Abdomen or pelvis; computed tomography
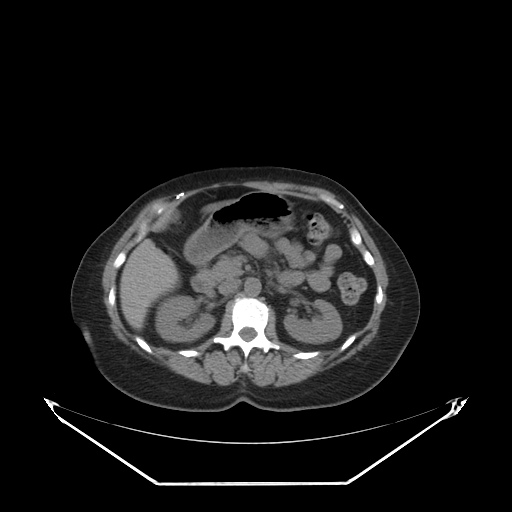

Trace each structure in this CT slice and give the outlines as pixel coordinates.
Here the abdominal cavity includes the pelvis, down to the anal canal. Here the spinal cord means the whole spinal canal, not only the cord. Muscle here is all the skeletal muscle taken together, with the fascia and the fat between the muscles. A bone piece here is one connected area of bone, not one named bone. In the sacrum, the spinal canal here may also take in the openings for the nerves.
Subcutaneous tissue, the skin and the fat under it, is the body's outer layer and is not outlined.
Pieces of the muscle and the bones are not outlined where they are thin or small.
The torso is outlined by 257,165 284,166 330,177 347,188 392,236 412,268 420,294 419,318 409,343 377,385 350,401 334,406 272,411 242,401 221,411 191,412 157,407 130,397 99,372 71,317 70,289 84,252 148,189 196,170. The muscle appears in 2 outlined pieces: piece 1: 247,181 268,181 269,182 278,181 279,182 289,182 295,184 300,184 301,185 307,185 308,186 323,188 335,194 341,201 345,204 347,208 360,220 367,232 372,238 382,257 382,259 385,265 386,272 388,276 388,285 386,289 387,301 385,307 380,315 380,323 376,336 367,345 364,346 361,350 358,351 348,359 342,361 328,369 318,372 316,374 307,378 301,382 290,384 286,386 281,386 280,387 261,387 252,383 249,381 248,379 243,382 241,381 236,381 229,385 219,386 218,385 210,385 209,384 200,383 186,378 180,374 177,374 171,371 165,366 152,362 142,357 134,350 131,349 127,345 119,340 110,329 109,322 111,320 106,311 106,307 103,301 102,273 107,259 109,257 111,251 116,242 132,223 138,213 147,203 156,198 167,196 174,193 184,192 188,190 196,189 200,187 211,185 215,183 220,183 221,182 246,182; inner edges: 223,187 247,187 312,201 321,201 319,195 325,194 343,205 340,210 332,208 349,230 354,227 359,232 362,243 355,246 361,253 366,249 372,255 371,269 383,294 380,304 373,302 366,323 354,332 355,339 343,351 339,345 322,349 313,357 294,358 300,350 279,339 276,313 270,305 264,333 280,347 265,353 253,348 245,359 239,347 226,351 213,342 212,336 191,348 200,353 198,356 187,357 151,344 149,353 126,328 117,304 111,306 108,301 111,287 116,286 119,269 113,262 117,255 121,251 126,254 138,242 143,222 149,232 186,198, then 155,203 165,203 165,205 164,206 164,208 163,209 163,210 159,214 157,214 154,211 153,211 153,209 152,208 152,206 153,205 153,204 154,204, then 245,362 246,363 246,364 247,365 247,366 248,367 248,368 248,369 248,370 247,371 246,372 245,372 244,372 243,371 242,371 241,370 241,369 241,368 241,367 242,366 243,365 243,364 244,363; piece 2: 228,304 231,304 231,307 230,308 230,320 232,324 232,328 231,329 231,331 229,335 227,336 220,336 219,335 215,335 220,329 221,320 222,319 222,317 225,312 225,310. The bones appear in 12 outlined pieces: piece 1: 236,297 256,298 268,306 268,320 264,333 270,341 279,345 279,349 270,348 265,353 260,348 253,348 245,359 239,347 232,346 226,351 220,343 213,342 213,337 215,336 227,337 230,335 233,328 231,308 with a hole at 245,327 248,327 249,328 252,328 255,331 255,332 256,333 256,334 255,335 255,336 252,339 251,339 250,340 249,340 248,341 246,341 245,340 244,340 240,336 240,335 239,334 239,332 243,328 244,328; piece 2: 320,194 325,194 326,195 328,195 329,196 332,197 334,199 337,200 343,205 343,208 340,210 339,209 337,209 336,208 331,206 329,204 328,204 326,202 325,202 323,200 322,200 319,197 319,195; piece 3: 316,350 318,350 320,351 320,353 318,355 316,356 314,356 313,357 310,357 306,359 300,359 299,358 294,358 293,357 293,354 295,353 297,353 300,351 302,351 303,352 309,352 310,351 315,351; piece 4: 352,227 354,227 355,228 356,228 357,229 357,230 359,232 359,233 360,234 360,235 361,236 361,238 362,239 362,243 360,245 355,245 351,241 351,239 350,238 350,229; piece 5: 121,251 124,251 125,252 125,253 126,254 125,255 125,259 124,260 124,261 123,262 123,263 122,263 121,264 121,265 118,268 115,268 113,266 113,262 114,261 114,260 115,259 115,258 117,256 117,255; piece 6: 135,336 139,336 140,337 141,337 149,345 149,346 150,347 150,348 151,349 151,350 152,351 152,353 149,353 148,352 147,352 145,350 144,350 137,343 137,342 135,340; piece 7: 185,349 193,349 194,350 196,350 197,351 198,351 200,353 200,354 198,356 189,356 188,357 187,357 186,356 184,356 183,355 182,355 181,354 180,354 179,353 178,353 177,352 177,351 178,350 184,350; piece 8: 365,249 366,249 369,251 369,252 372,255 372,256 374,259 374,264 372,266 370,266 367,263 366,263 366,262 364,260 364,259 362,256 362,252 363,251 363,250 364,250; piece 9: 353,333 354,333 355,334 355,339 352,342 352,343 349,346 348,346 343,351 340,351 340,347 341,346 341,345 345,341 345,340 351,334 352,334; piece 10: 143,222 144,222 146,224 146,231 145,232 145,234 143,236 143,237 139,241 137,241 136,240 136,237 137,236 137,234 138,233 138,229 139,228 139,227 140,226 140,225; piece 11: 113,286 114,286 115,287 115,303 114,304 114,305 113,306 111,306 109,304 109,302 108,301 108,295 109,294 109,291 110,290 110,289 111,288 111,287 112,287; piece 12: 155,203 165,203 165,205 164,206 164,208 163,209 163,210 159,214 157,214 154,211 153,211 153,209 152,208 152,206 153,205 153,204 154,204. The abdominal cavity is outlined by 223,187 247,187 323,201 339,213 350,241 375,277 374,301 363,327 336,347 303,351 279,339 276,313 270,305 256,297 236,296 227,304 217,332 191,348 152,345 130,332 116,303 116,278 127,253 186,198. The spinal cord is outlined by 245,327 248,327 249,328 252,328 255,331 255,332 256,333 256,334 255,335 255,336 252,339 251,339 250,340 249,340 248,341 246,341 245,340 244,340 240,336 240,335 239,334 239,332 243,328 244,328.